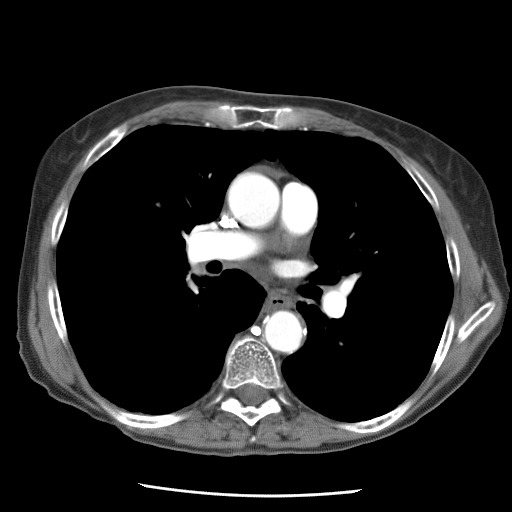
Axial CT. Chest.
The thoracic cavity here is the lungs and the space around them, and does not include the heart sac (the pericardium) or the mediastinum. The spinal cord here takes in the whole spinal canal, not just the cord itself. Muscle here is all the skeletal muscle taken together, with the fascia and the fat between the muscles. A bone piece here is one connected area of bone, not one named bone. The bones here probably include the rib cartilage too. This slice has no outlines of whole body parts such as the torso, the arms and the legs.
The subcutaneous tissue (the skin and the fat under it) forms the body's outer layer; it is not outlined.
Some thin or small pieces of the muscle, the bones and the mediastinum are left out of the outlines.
spinal cord: (249, 383) (251, 383) (252, 384) (255, 384) (261, 387) (264, 390) (265, 392) (265, 398) (264, 400) (262, 401) (258, 405) (253, 405) (252, 404) (244, 404) (239, 399) (238, 397) (238, 389) (241, 386) (245, 384) (248, 384)
pericardium: (257, 164) (266, 164) (281, 169) (309, 187) (316, 199) (317, 207) (316, 220) (308, 244) (307, 249) (308, 257) (299, 279) (290, 284) (275, 284) (252, 275) (240, 268) (234, 262) (230, 253) (224, 247) (220, 237) (219, 222) (221, 219) (225, 194) (229, 184) (237, 174)
bones 1: (247, 335) (260, 341) (271, 352) (281, 379) (285, 384) (287, 396) (291, 402) (290, 405) (283, 405) (280, 412) (267, 414) (252, 426) (248, 425) (237, 415) (220, 410) (218, 408) (218, 403) (209, 404) (209, 401) (219, 388) (220, 381) (224, 376) (225, 358) (230, 345) with a hole at (249, 383) (251, 383) (252, 384) (255, 384) (261, 387) (264, 390) (265, 392) (265, 398) (264, 400) (262, 401) (258, 405) (253, 405) (252, 404) (244, 404) (239, 399) (238, 397) (238, 389) (241, 386) (245, 384) (248, 384)
bones 2: (220, 104) (228, 104) (231, 106) (247, 104) (263, 108) (291, 106) (297, 110) (304, 111) (307, 114) (307, 126) (301, 128) (284, 129) (267, 128) (260, 125) (253, 125) (236, 129) (221, 127) (216, 123) (205, 121) (206, 119) (204, 117) (204, 112) (206, 109) (211, 106)
bones 3: (92, 395) (95, 395) (99, 397) (108, 404) (116, 406) (132, 413) (145, 414) (146, 415) (162, 415) (173, 412) (174, 413) (182, 413) (183, 412) (187, 413) (188, 415) (185, 419) (161, 427) (142, 428) (141, 427) (130, 426) (123, 424) (110, 416) (99, 403) (92, 397)
bones 4: (407, 398) (413, 398) (415, 399) (415, 401) (410, 407) (399, 418) (388, 426) (378, 431) (360, 433) (359, 432) (355, 432) (350, 430) (346, 430) (335, 426) (335, 424) (338, 422) (359, 422) (360, 421) (369, 420) (375, 417) (378, 417) (391, 411)
bones 5: (123, 123) (126, 123) (127, 124) (127, 131) (126, 132) (126, 134) (114, 146) (113, 146) (108, 151) (102, 155) (85, 171) (83, 171) (82, 170) (82, 165) (86, 158) (86, 156) (93, 146) (98, 141) (99, 141) (104, 136) (105, 136) (110, 130) (111, 130) (114, 127)
bones 6: (53, 279) (56, 281) (57, 289) (59, 294) (60, 304) (61, 305) (61, 310) (63, 314) (63, 319) (67, 331) (67, 336) (69, 341) (67, 346) (62, 342) (55, 327) (50, 312) (50, 308) (49, 307) (49, 303) (47, 297) (47, 287) (48, 284)
bones 7: (450, 313) (453, 315) (454, 320) (455, 321) (455, 323) (454, 324) (454, 333) (452, 337) (452, 340) (441, 364) (439, 366) (436, 372) (432, 376) (431, 376) (431, 373) (429, 370) (430, 369) (430, 366) (435, 355) (435, 353) (437, 350) (438, 345) (440, 342) (448, 315)
bones 8: (488, 301) (494, 301) (495, 303) (495, 306) (492, 310) (492, 311) (489, 314) (489, 315) (484, 320) (483, 320) (469, 334) (469, 335) (464, 340) (463, 340) (461, 342) (459, 342) (457, 340) (457, 333) (458, 332) (458, 330) (459, 328) (480, 306) (481, 306)
bones 9: (403, 160) (405, 160) (408, 163) (413, 165) (429, 184) (429, 185) (433, 190) (437, 198) (437, 200) (439, 204) (439, 209) (434, 211) (432, 206) (427, 200) (425, 196) (422, 193) (422, 192) (420, 190) (420, 189) (418, 187) (418, 186) (416, 184) (414, 180) (401, 164)
bones 10: (63, 200) (67, 200) (69, 203) (68, 205) (68, 209) (67, 210) (67, 215) (65, 219) (65, 222) (59, 240) (56, 246) (54, 247) (52, 246) (51, 244) (51, 228) (52, 227) (52, 223) (53, 222) (53, 219) (55, 213) (61, 202)
bones 11: (447, 238) (452, 238) (454, 240) (456, 244) (456, 247) (458, 252) (458, 257) (459, 258) (459, 276) (457, 279) (453, 279) (452, 278) (452, 276) (450, 273) (450, 270) (449, 269) (448, 259) (447, 258) (447, 251) (446, 250) (446, 245) (445, 244) (445, 240)
thoracic cavity: (170, 122) (357, 136) (403, 167) (452, 279) (408, 397) (339, 421) (286, 388) (278, 368) (307, 339) (295, 293) (314, 264) (319, 206) (277, 157) (234, 176) (215, 221) (224, 266) (265, 294) (218, 388) (189, 410) (146, 414) (90, 384) (57, 284) (69, 205) (126, 135)
mediastinum 1: (310, 241) (309, 252) (312, 256) (313, 264) (307, 277) (301, 281) (294, 293) (295, 307) (306, 323) (306, 339) (301, 347) (282, 361) (279, 368) (270, 349) (257, 338) (247, 334) (231, 343) (237, 333) (252, 325) (266, 294) (262, 286) (250, 275) (275, 285) (297, 282) (309, 257) (308, 249)
mediastinum 2: (221, 210) (221, 214) (220, 219) (218, 222) (219, 225) (218, 231) (219, 232) (219, 237) (221, 240) (221, 243) (223, 245) (223, 247) (229, 253) (229, 255) (231, 257) (233, 262) (241, 269) (227, 268) (219, 256) (219, 253) (217, 250) (217, 242) (216, 241) (216, 221) (218, 216) (221, 212)
mediastinum 3: (262, 158) (265, 158) (267, 160) (269, 160) (270, 161) (273, 161) (277, 158) (283, 164) (286, 169) (290, 173) (296, 176) (301, 181) (279, 167) (276, 167) (275, 166) (273, 166) (266, 163) (257, 163) (256, 164) (251, 165) (255, 162) (257, 162)
muscle 1: (92, 146) (81, 165) (84, 172) (70, 201) (63, 199) (52, 219) (50, 244) (56, 247) (56, 280) (53, 278) (47, 284) (46, 297) (61, 342) (66, 347) (69, 342) (89, 384) (113, 404) (92, 394) (91, 397) (105, 412) (126, 426) (142, 429) (161, 428) (185, 420) (189, 415) (184, 412) (194, 408) (215, 391) (208, 401) (209, 405) (218, 404) (220, 411) (231, 413) (252, 427) (265, 416) (278, 414) (283, 410) (283, 406) (292, 404) (287, 389) (306, 406) (338, 421) (334, 424) (336, 428) (360, 434) (378, 432) (346, 441) (326, 442) (315, 447) (268, 447) (254, 443) (243, 448) (195, 447) (161, 437) (138, 434) (90, 407) (55, 382) (43, 368) (28, 333) (30, 290) (37, 274) (39, 244) (47, 214) (71, 171)
muscle 2: (292, 106) (312, 107) (350, 120) (390, 142) (422, 165) (437, 180) (452, 202) (478, 259) (485, 261) (502, 295) (502, 310) (498, 322) (466, 365) (409, 416) (381, 431) (399, 419) (416, 401) (410, 395) (429, 371) (431, 377) (437, 372) (450, 348) (456, 323) (450, 312) (453, 280) (460, 276) (457, 244) (452, 237) (444, 239) (435, 213) (440, 209) (438, 198) (413, 164) (405, 159) (400, 163) (381, 145) (364, 137) (313, 129) (308, 126) (308, 114) with a hole at (488, 301) (494, 301) (495, 303) (495, 306) (492, 310) (492, 311) (489, 314) (489, 315) (484, 320) (483, 320) (469, 334) (469, 335) (464, 340) (463, 340) (461, 342) (459, 342) (457, 340) (457, 333) (458, 332) (458, 330) (459, 328) (480, 306) (481, 306)
muscle 3: (178, 100) (227, 100) (240, 104) (231, 105) (228, 103) (220, 103) (211, 105) (204, 110) (203, 117) (205, 120) (200, 123) (197, 123) (194, 121) (159, 122) (145, 125) (135, 129) (127, 134) (128, 124) (126, 122) (123, 122) (124, 121) (137, 114) (142, 113) (162, 104)